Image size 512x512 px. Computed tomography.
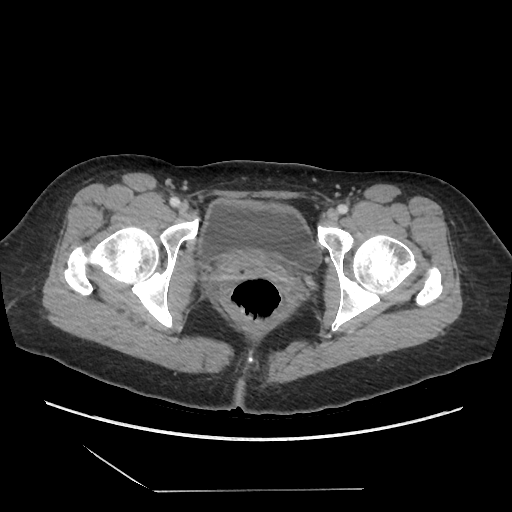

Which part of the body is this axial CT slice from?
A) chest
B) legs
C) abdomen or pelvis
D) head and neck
C) abdomen or pelvis
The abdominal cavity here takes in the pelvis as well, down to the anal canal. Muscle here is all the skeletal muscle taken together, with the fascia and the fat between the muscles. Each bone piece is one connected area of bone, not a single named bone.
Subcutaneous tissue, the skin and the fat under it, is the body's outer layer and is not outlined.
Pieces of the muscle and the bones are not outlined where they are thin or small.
torso: (119, 153) (150, 155) (175, 165) (238, 159) (296, 162) (356, 172) (408, 170) (450, 183) (473, 202) (511, 253) (508, 298) (490, 358) (340, 407) (279, 415) (246, 413) (240, 407) (207, 410) (144, 396) (17, 347) (3, 297) (0, 240) (43, 189) (64, 170) (95, 156)
muscle: (137, 171) (152, 174) (166, 189) (179, 194) (205, 188) (315, 190) (340, 200) (376, 183) (395, 184) (421, 194) (443, 209) (460, 277) (461, 313) (438, 336) (424, 343) (364, 357) (277, 384) (263, 384) (256, 379) (239, 376) (236, 372) (237, 360) (246, 344) (206, 300) (190, 309) (182, 333) (230, 345) (233, 353) (231, 363) (218, 373) (172, 370) (72, 335) (51, 324) (41, 300) (42, 286) (48, 275) (64, 215) (75, 193) (82, 187) (108, 175); inner edges: (210, 196) (307, 199) (319, 224) (353, 237) (345, 262) (366, 239) (385, 234) (404, 243) (417, 266) (377, 303) (331, 331) (340, 286) (329, 252) (320, 245) (321, 264) (308, 297) (271, 328) (251, 334) (205, 293) (196, 267) (197, 233) (177, 254) (167, 289) (172, 327) (166, 327) (130, 284) (99, 266) (86, 269) (93, 290) (74, 291) (64, 276) (66, 261) (75, 247) (85, 244) (88, 252) (126, 226) (145, 230) (159, 244) (164, 229) (199, 216), then (308, 306) (314, 311) (318, 319) (318, 322) (319, 323) (319, 334) (317, 338) (314, 340) (298, 340) (297, 341) (293, 341) (291, 342) (287, 347) (273, 351) (268, 357) (265, 357) (263, 356) (259, 352) (259, 346) (262, 343) (265, 338) (301, 309), then (433, 265) (436, 266) (441, 272) (441, 274) (442, 275) (442, 285) (443, 286) (442, 288) (442, 291) (439, 296) (431, 303) (429, 303) (424, 306) (420, 306) (417, 304) (415, 300) (415, 297) (418, 292) (422, 288) (424, 284) (424, 273) (425, 272) (425, 270) (428, 267)
abdominal cavity: (210, 196) (283, 200) (307, 199) (311, 201) (316, 208) (317, 223) (315, 226) (315, 235) (316, 241) (322, 253) (322, 258) (314, 286) (306, 299) (263, 333) (251, 334) (237, 326) (205, 293) (199, 280) (195, 253) (198, 231) (201, 221) (200, 209) (203, 200) (206, 197)
bones 1: (197, 215) (200, 221) (195, 239) (181, 244) (168, 284) (171, 328) (149, 313) (130, 284) (116, 280) (99, 266) (87, 266) (86, 276) (93, 287) (88, 295) (74, 291) (67, 283) (64, 270) (75, 247) (85, 244) (88, 252) (126, 226) (145, 230) (159, 244) (164, 229)
bones 2: (318, 223) (326, 227) (339, 227) (351, 234) (354, 243) (345, 255) (345, 262) (366, 239) (385, 234) (404, 243) (417, 263) (415, 270) (399, 285) (382, 294) (377, 303) (344, 322) (335, 331) (331, 331) (331, 324) (339, 307) (340, 286) (328, 250) (317, 241)
bones 3: (433, 265) (436, 266) (441, 272) (441, 274) (442, 275) (442, 285) (443, 286) (442, 288) (442, 291) (439, 296) (431, 303) (429, 303) (424, 306) (420, 306) (417, 304) (415, 300) (415, 297) (418, 292) (422, 288) (424, 284) (424, 273) (425, 272) (425, 270) (428, 267)